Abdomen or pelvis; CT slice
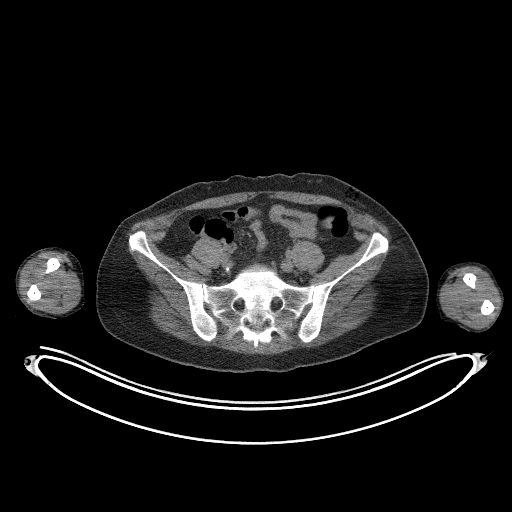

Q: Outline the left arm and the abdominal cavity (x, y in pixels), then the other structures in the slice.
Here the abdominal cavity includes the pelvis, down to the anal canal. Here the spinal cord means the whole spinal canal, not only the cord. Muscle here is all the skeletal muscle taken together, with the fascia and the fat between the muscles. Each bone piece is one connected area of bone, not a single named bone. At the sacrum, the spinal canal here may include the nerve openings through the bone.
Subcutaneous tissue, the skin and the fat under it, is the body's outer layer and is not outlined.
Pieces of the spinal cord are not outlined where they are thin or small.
A: The left arm is outlined by [[463,261],[477,261],[489,267],[495,274],[495,277],[504,295],[504,303],[501,313],[495,323],[490,328],[483,332],[479,333],[469,332],[453,323],[442,320],[439,316],[438,309],[436,306],[435,301],[436,286],[440,275],[446,268],[452,264]]. The abdominal cavity is outlined by [[259,195],[346,211],[360,244],[353,252],[337,255],[317,272],[325,259],[321,248],[307,240],[292,247],[293,264],[312,274],[309,284],[289,283],[257,263],[228,282],[208,284],[205,276],[221,263],[215,240],[199,239],[182,257],[158,247],[183,212]]. The torso is outlined by [[298,172],[328,174],[353,185],[387,208],[407,230],[425,264],[429,278],[426,313],[417,326],[347,357],[281,373],[217,372],[181,365],[123,343],[102,326],[95,305],[97,268],[112,234],[124,218],[193,182],[225,179],[234,174],[255,177]]. The right arm is outlined by [[47,246],[59,246],[63,247],[73,253],[80,262],[84,277],[85,302],[83,306],[75,313],[59,319],[53,319],[52,318],[42,317],[35,315],[29,311],[23,305],[18,298],[15,291],[14,277],[15,276],[15,272],[20,263],[28,255],[34,251]]. The muscle appears in 3 outlined pieces: piece 1: [[262,190],[271,190],[272,191],[293,191],[294,192],[304,192],[310,194],[319,194],[320,195],[329,196],[350,204],[352,206],[355,207],[360,212],[365,212],[370,214],[384,224],[388,228],[391,235],[391,244],[392,245],[392,248],[388,252],[384,261],[381,265],[379,271],[376,274],[374,278],[370,281],[371,285],[377,293],[377,303],[376,304],[376,308],[371,312],[371,314],[367,319],[358,326],[323,344],[314,347],[300,347],[299,348],[294,348],[280,353],[272,354],[271,355],[258,354],[257,353],[254,354],[246,354],[245,353],[239,353],[238,352],[231,351],[227,349],[224,349],[215,346],[200,346],[199,345],[195,345],[194,344],[191,344],[184,340],[179,339],[175,336],[173,336],[167,332],[161,330],[156,326],[150,319],[147,312],[147,292],[150,289],[150,284],[145,276],[139,270],[135,260],[132,257],[126,247],[126,234],[130,227],[134,223],[138,221],[147,218],[150,218],[163,213],[166,213],[173,209],[183,207],[189,204],[207,198],[221,196],[222,195],[235,193],[236,192],[261,191]]; inner edge: [[259,195],[346,211],[360,244],[353,252],[317,272],[325,259],[317,244],[301,240],[291,249],[293,264],[312,274],[310,285],[358,261],[373,232],[387,238],[385,253],[332,287],[309,342],[299,338],[297,321],[285,340],[273,332],[256,347],[240,331],[228,339],[220,323],[213,339],[202,339],[183,287],[130,250],[130,234],[143,230],[178,277],[207,284],[221,263],[215,240],[199,239],[182,257],[157,243],[183,212]]; piece 2: [[46,251],[58,251],[62,253],[65,253],[71,261],[75,270],[78,273],[77,276],[79,279],[81,288],[80,299],[78,303],[73,308],[64,313],[55,314],[36,309],[24,300],[19,291],[19,276],[20,271],[23,266],[30,259],[35,257],[38,254]] with holes at [[31,284],[36,284],[36,285],[37,286],[37,287],[38,288],[38,289],[40,291],[40,292],[41,293],[41,296],[40,297],[40,298],[37,300],[30,300],[29,299],[29,298],[27,295],[27,291],[28,290],[28,289],[29,288],[29,287]] and at [[50,257],[56,257],[58,259],[58,260],[59,261],[59,267],[57,269],[56,269],[55,270],[54,270],[53,271],[52,271],[51,272],[49,272],[48,273],[45,273],[45,270],[46,269],[46,262],[47,261],[47,260]]; piece 3: [[467,265],[477,266],[486,271],[489,274],[493,281],[493,283],[497,288],[501,299],[500,306],[495,317],[488,325],[482,328],[472,328],[455,319],[448,317],[442,310],[440,301],[439,300],[440,289],[442,285],[445,282],[449,273],[456,268],[466,266]], around holes outlined by [[484,299],[488,299],[493,304],[493,305],[494,306],[494,309],[493,310],[493,311],[491,313],[490,313],[487,315],[485,315],[484,314],[482,314],[481,313],[481,310],[480,309],[480,308],[481,307],[481,305],[482,304],[482,302]] and by [[467,272],[471,272],[473,274],[474,274],[476,276],[476,280],[475,281],[475,288],[471,288],[468,285],[467,285],[463,281],[463,276],[464,275],[464,274],[465,273],[466,273]]. The spinal cord is outlined by [[274,299],[278,299],[281,302],[281,305],[277,309],[273,309],[271,307],[271,304],[272,303],[272,301]]. The bones appear in 5 outlined pieces: piece 1: [[138,230],[178,277],[208,285],[255,264],[289,284],[319,284],[358,261],[373,232],[387,238],[388,249],[332,287],[311,341],[299,338],[295,321],[285,340],[273,332],[255,347],[240,331],[228,339],[220,323],[213,339],[202,339],[183,287],[130,250]] with holes at [[274,299],[278,299],[281,302],[281,305],[277,309],[273,309],[271,307],[271,304],[272,303],[272,301]] and at [[237,300],[240,300],[242,302],[242,304],[243,305],[243,307],[241,309],[239,309],[238,308],[236,308],[234,306],[234,303]]; piece 2: [[31,284],[36,284],[36,285],[37,286],[37,287],[38,288],[38,289],[40,291],[40,292],[41,293],[41,296],[40,297],[40,298],[37,300],[30,300],[29,299],[29,298],[27,295],[27,291],[28,290],[28,289],[29,288],[29,287]]; piece 3: [[50,257],[56,257],[58,259],[58,260],[59,261],[59,267],[57,269],[56,269],[55,270],[54,270],[53,271],[52,271],[51,272],[49,272],[48,273],[45,273],[45,270],[46,269],[46,262],[47,261],[47,260]]; piece 4: [[484,299],[488,299],[493,304],[493,305],[494,306],[494,309],[493,310],[493,311],[491,313],[490,313],[487,315],[485,315],[484,314],[482,314],[481,313],[481,310],[480,309],[480,308],[481,307],[481,305],[482,304],[482,302]]; piece 5: [[467,272],[471,272],[473,274],[474,274],[476,276],[476,280],[475,281],[475,288],[471,288],[468,285],[467,285],[463,281],[463,276],[464,275],[464,274],[465,273],[466,273]].